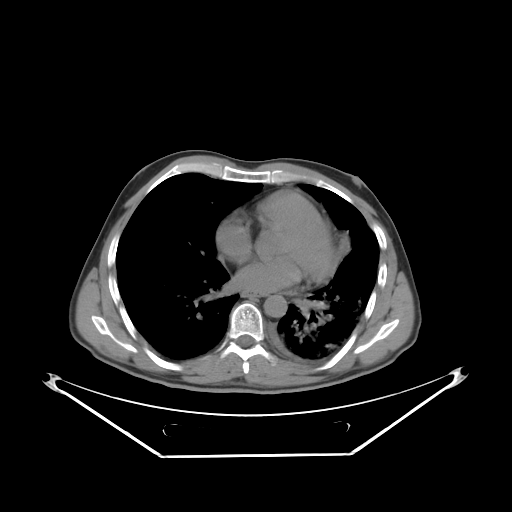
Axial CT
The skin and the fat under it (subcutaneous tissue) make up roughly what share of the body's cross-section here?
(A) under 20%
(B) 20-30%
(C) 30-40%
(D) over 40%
Answer: (A) under 20%
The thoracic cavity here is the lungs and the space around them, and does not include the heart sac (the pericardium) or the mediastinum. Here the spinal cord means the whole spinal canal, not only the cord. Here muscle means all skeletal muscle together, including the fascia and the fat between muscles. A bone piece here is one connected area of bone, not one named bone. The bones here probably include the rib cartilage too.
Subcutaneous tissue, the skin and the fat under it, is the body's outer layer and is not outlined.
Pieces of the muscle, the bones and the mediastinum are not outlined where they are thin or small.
Outlines (x, y in pixels):
bones 1: (196, 161) (216, 162) (246, 171) (282, 169) (310, 177) (320, 178) (346, 194) (352, 199) (354, 204) (331, 190) (306, 181) (286, 181) (282, 183) (244, 182) (221, 179) (194, 171) (183, 172) (170, 176) (156, 185) (145, 195) (145, 191) (149, 186) (174, 165) (182, 162)
bones 2: (243, 302) (253, 304) (260, 311) (265, 336) (262, 344) (276, 357) (276, 362) (272, 365) (260, 354) (251, 356) (248, 359) (249, 370) (247, 373) (244, 373) (242, 368) (243, 360) (236, 353) (230, 352) (220, 358) (220, 352) (217, 350) (229, 327) (229, 316) (232, 308), around a hole outlined by (242, 335) (248, 335) (249, 336) (250, 336) (254, 340) (254, 343) (251, 346) (250, 346) (249, 347) (242, 347) (241, 346) (240, 346) (236, 342) (236, 340) (240, 336) (241, 336)
bones 3: (110, 274) (116, 276) (116, 282) (117, 283) (117, 287) (119, 291) (119, 294) (121, 298) (121, 301) (133, 325) (137, 331) (137, 338) (136, 339) (134, 339) (127, 330) (118, 310) (118, 307) (114, 303) (114, 301) (111, 296) (108, 285) (108, 276)
bones 4: (396, 318) (397, 318) (399, 320) (398, 324) (396, 326) (396, 327) (386, 337) (382, 339) (377, 340) (369, 347) (368, 347) (366, 349) (359, 353) (354, 353) (353, 352) (353, 351) (359, 345) (361, 345) (362, 344) (366, 343) (377, 332) (377, 331) (383, 324) (387, 323)
bones 5: (92, 315) (96, 315) (97, 316) (102, 317) (105, 320) (108, 328) (114, 336) (120, 341) (125, 343) (128, 343) (132, 345) (137, 349) (137, 352) (133, 352) (130, 350) (126, 349) (124, 347) (115, 342) (107, 334) (102, 334) (100, 333) (96, 328) (91, 319) (91, 316)
bones 6: (354, 330) (355, 330) (357, 335) (352, 346) (348, 350) (348, 351) (334, 365) (333, 365) (331, 367) (327, 368) (326, 369) (324, 369) (323, 370) (314, 370) (314, 369) (316, 367) (322, 365) (330, 358) (331, 358) (342, 347) (342, 346) (346, 342) (346, 341)
bones 7: (145, 345) (146, 345) (149, 349) (154, 352) (159, 357) (165, 360) (167, 360) (168, 361) (172, 361) (173, 362) (175, 362) (182, 365) (183, 367) (182, 370) (172, 370) (171, 369) (167, 369) (166, 368) (164, 368) (157, 365) (146, 354) (146, 353) (144, 351) (143, 347)
bones 8: (116, 233) (120, 233) (120, 237) (119, 238) (119, 240) (117, 244) (117, 249) (116, 250) (116, 253) (115, 254) (115, 265) (113, 265) (109, 267) (107, 265) (107, 254) (108, 253) (108, 250) (109, 249) (109, 246) (110, 245) (111, 240) (113, 236)
bones 9: (373, 223) (376, 223) (378, 224) (381, 227) (381, 228) (384, 232) (384, 234) (385, 235) (385, 239) (386, 240) (386, 248) (384, 250) (382, 250) (380, 249) (379, 247) (379, 244) (377, 240) (377, 238) (374, 232) (370, 227) (370, 225) (371, 225)
bones 10: (382, 262) (385, 263) (386, 265) (386, 267) (387, 268) (387, 274) (386, 275) (386, 281) (385, 282) (385, 285) (384, 287) (381, 288) (378, 285) (376, 284) (376, 281) (377, 280) (377, 274) (378, 273) (378, 266) (379, 265) (379, 263) (381, 263)
bones 11: (374, 288) (376, 291) (376, 296) (375, 297) (375, 304) (374, 305) (373, 310) (372, 311) (370, 316) (367, 319) (366, 319) (365, 318) (365, 317) (364, 316) (364, 314) (363, 313) (365, 310) (365, 308) (366, 307) (367, 302) (369, 299) (369, 297)
thoracic cavity 1: (190, 172) (227, 181) (261, 183) (261, 189) (229, 212) (215, 229) (215, 257) (228, 273) (229, 280) (238, 293) (229, 312) (228, 327) (223, 339) (216, 348) (203, 355) (173, 361) (165, 359) (153, 351) (134, 325) (118, 287) (116, 254) (121, 234) (144, 197) (166, 179)
thoracic cavity 2: (301, 183) (331, 191) (353, 205) (364, 217) (379, 248) (375, 284) (354, 329) (331, 357) (323, 363) (313, 364) (294, 361) (272, 349) (266, 341) (264, 329) (273, 320) (285, 316) (290, 305) (298, 298) (313, 292) (331, 278) (342, 258) (340, 232) (323, 204) (302, 189)
mediastinum 1: (230, 275) (231, 279) (240, 288) (250, 293) (284, 296) (293, 296) (305, 292) (307, 293) (301, 297) (298, 297) (293, 303) (290, 304) (287, 313) (281, 318) (273, 319) (267, 325) (264, 325) (262, 313) (253, 303) (243, 301) (232, 307) (238, 298) (239, 293) (230, 280)
mediastinum 2: (286, 182) (301, 182) (299, 184) (299, 187) (301, 189) (299, 189) (298, 188) (296, 188) (295, 187) (288, 187) (287, 186) (277, 186) (274, 188) (269, 188) (268, 189) (266, 189) (260, 194) (255, 195) (262, 189) (262, 184) (282, 184) (283, 183) (285, 183)
spinal cord: (242, 335) (248, 335) (249, 336) (250, 336) (254, 340) (254, 343) (251, 346) (250, 346) (249, 347) (242, 347) (241, 346) (240, 346) (236, 342) (236, 340) (240, 336) (241, 336)
pericardium: (277, 187) (295, 188) (311, 196) (321, 204) (333, 225) (339, 232) (339, 249) (341, 250) (341, 258) (331, 277) (311, 290) (293, 295) (256, 293) (246, 291) (232, 279) (232, 276) (227, 268) (218, 259) (215, 244) (216, 229) (226, 216) (253, 197) (260, 195) (266, 190)
muscle: (191, 155) (209, 155) (210, 156) (215, 156) (226, 159) (241, 167) (249, 169) (257, 167) (263, 164) (269, 164) (276, 162) (285, 162) (286, 163) (296, 164) (315, 170) (329, 177) (366, 201) (376, 211) (379, 220) (385, 227) (388, 234) (390, 236) (397, 257) (397, 266) (398, 269) (400, 271) (401, 270) (404, 272) (412, 292) (413, 301) (414, 302) (415, 317) (414, 318) (414, 323) (412, 331) (407, 340) (397, 349) (390, 353) (384, 359) (369, 366) (352, 369) (341, 374) (335, 374) (323, 380) (312, 383) (306, 383) (298, 385) (288, 385) (287, 386) (276, 386) (275, 387) (260, 387) (259, 386) (245, 385) (244, 384) (235, 384) (234, 383) (230, 383) (229, 384) (201, 384) (200, 383) (192, 383) (183, 380) (170, 379) (167, 377) (163, 377) (155, 373) (143, 370) (134, 366) (117, 361) (104, 355) (98, 351) (79, 333) (75, 323) (76, 301) (83, 281) (89, 271) (93, 267) (97, 267) (99, 265) (100, 255) (104, 244) (104, 241) (115, 222) (124, 212) (125, 210) (123, 206) (124, 203) (152, 177) (172, 161) (180, 157) (190, 156) with holes at (196, 161) (320, 178) (351, 198) (369, 226) (383, 230) (386, 248) (378, 262) (387, 268) (385, 285) (374, 285) (370, 316) (361, 314) (352, 346) (331, 367) (314, 370) (322, 363) (294, 361) (265, 339) (274, 365) (255, 354) (244, 373) (236, 353) (220, 358) (215, 348) (206, 358) (176, 361) (183, 368) (172, 370) (157, 365) (143, 349) (152, 349) (145, 339) (127, 330) (109, 291) (108, 276) (117, 275) (107, 265) (111, 240) (153, 182) (178, 163) and at (396, 318) (397, 318) (399, 320) (398, 324) (396, 326) (396, 327) (386, 337) (382, 339) (377, 340) (369, 347) (368, 347) (366, 349) (359, 353) (354, 353) (353, 352) (353, 351) (359, 345) (361, 345) (362, 344) (366, 343) (377, 332) (377, 331) (383, 324) (387, 323) and at (92, 315) (96, 315) (97, 316) (102, 317) (105, 320) (108, 328) (114, 336) (120, 341) (125, 343) (128, 343) (132, 345) (137, 349) (137, 352) (133, 352) (130, 350) (126, 349) (124, 347) (115, 342) (107, 334) (102, 334) (100, 333) (96, 328) (91, 319) (91, 316)
torso: (186, 149) (207, 149) (243, 160) (277, 157) (309, 159) (359, 176) (393, 220) (411, 266) (422, 312) (422, 322) (414, 344) (391, 364) (345, 382) (305, 391) (258, 394) (168, 387) (108, 365) (77, 343) (68, 328) (69, 300) (82, 266) (117, 196) (140, 168) (162, 156)